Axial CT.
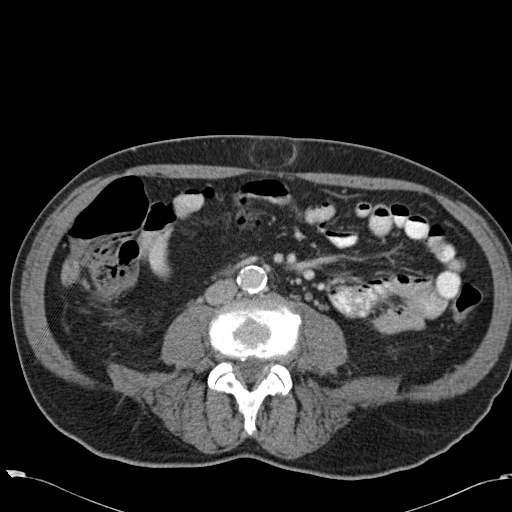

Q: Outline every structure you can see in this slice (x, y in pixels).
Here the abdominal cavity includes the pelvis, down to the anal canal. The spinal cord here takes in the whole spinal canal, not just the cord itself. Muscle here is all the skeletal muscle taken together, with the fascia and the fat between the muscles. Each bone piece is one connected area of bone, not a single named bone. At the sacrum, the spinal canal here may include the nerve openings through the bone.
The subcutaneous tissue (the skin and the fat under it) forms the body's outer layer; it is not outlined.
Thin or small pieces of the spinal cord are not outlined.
A: The spinal cord is outlined by [[250,356],[253,356],[256,358],[265,359],[269,362],[268,364],[267,364],[262,369],[261,373],[259,376],[260,377],[260,379],[252,384],[248,384],[243,382],[238,377],[237,374],[234,371],[234,363],[235,361],[237,360],[245,361],[247,358]]. The muscle is outlined by [[147,164],[202,164],[203,165],[233,166],[253,169],[266,169],[272,171],[281,170],[290,172],[329,172],[351,175],[363,175],[371,177],[394,178],[411,181],[424,185],[436,192],[447,196],[453,201],[460,201],[464,203],[478,213],[486,221],[489,227],[502,244],[511,269],[511,323],[509,326],[504,347],[499,354],[497,361],[489,372],[473,388],[468,390],[465,393],[434,403],[429,402],[413,403],[412,402],[408,404],[385,406],[376,408],[367,412],[357,413],[354,416],[353,420],[347,426],[340,428],[322,446],[312,452],[306,453],[294,459],[286,459],[270,453],[253,438],[245,439],[230,450],[219,453],[204,453],[183,441],[178,436],[174,435],[163,425],[155,423],[143,406],[139,402],[131,399],[128,396],[124,396],[122,393],[111,389],[106,390],[105,389],[87,389],[80,385],[68,382],[56,376],[37,360],[28,341],[24,329],[24,320],[20,302],[20,290],[22,274],[25,267],[25,261],[31,249],[33,241],[49,215],[74,189],[88,181],[91,177],[96,175],[121,171],[134,166]] with a hole at [[249,173],[437,200],[491,271],[472,354],[426,384],[340,380],[343,330],[292,301],[298,341],[279,361],[292,386],[263,399],[252,435],[234,396],[207,385],[224,359],[209,305],[165,330],[170,371],[78,369],[44,299],[75,215],[127,175]]. The torso is outlined by [[217,134],[312,137],[387,150],[455,181],[496,219],[511,241],[511,372],[472,431],[418,466],[379,477],[342,480],[283,469],[249,457],[200,467],[137,466],[101,457],[49,422],[27,387],[10,319],[11,273],[27,231],[49,200],[94,161],[143,143]]. The abdominal cavity is outlined by [[249,173],[437,200],[491,271],[491,317],[472,354],[426,384],[403,385],[400,374],[340,380],[349,356],[343,330],[277,294],[215,311],[189,305],[163,334],[159,359],[170,371],[109,360],[102,381],[78,369],[50,330],[44,299],[75,215],[127,175]]. The bones are outlined by [[277,295],[291,302],[292,309],[301,318],[295,348],[279,361],[288,369],[292,386],[285,395],[269,394],[263,399],[256,415],[256,430],[248,435],[234,396],[207,385],[210,370],[224,359],[210,344],[208,325],[215,312],[228,303]] with a hole at [[250,356],[253,356],[256,358],[265,359],[269,362],[268,364],[267,364],[262,369],[261,373],[259,376],[260,377],[260,379],[252,384],[248,384],[243,382],[238,377],[237,374],[234,371],[234,363],[235,361],[237,360],[245,361],[247,358]].